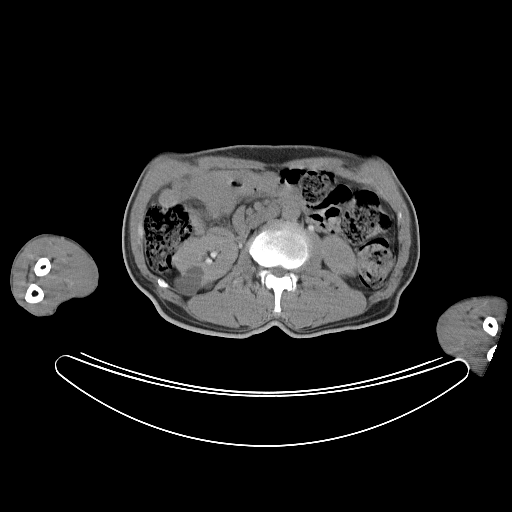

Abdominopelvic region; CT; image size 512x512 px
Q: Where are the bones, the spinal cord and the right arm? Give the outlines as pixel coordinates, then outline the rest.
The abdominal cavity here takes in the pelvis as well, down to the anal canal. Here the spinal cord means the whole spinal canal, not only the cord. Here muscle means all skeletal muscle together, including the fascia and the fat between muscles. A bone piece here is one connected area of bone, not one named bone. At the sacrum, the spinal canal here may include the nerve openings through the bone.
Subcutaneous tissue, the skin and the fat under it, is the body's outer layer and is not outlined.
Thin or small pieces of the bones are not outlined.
A: The bones appear in 6 outlined pieces: piece 1: 276 220; 289 222; 302 229; 310 245; 310 256; 308 260; 295 271; 298 277; 296 289; 284 289; 281 293; 281 310; 279 313; 273 311; 274 292; 271 288; 267 288; 261 283; 258 275; 260 267; 252 258; 246 246; 248 241; 265 224, around a hole outlined by 276 266; 280 266; 281 267; 282 267; 284 269; 285 269; 287 271; 287 272; 284 275; 283 275; 282 276; 280 276; 279 277; 278 276; 276 276; 275 275; 274 275; 272 273; 271 273; 271 272; 269 270; 269 269; 272 267; 275 267; piece 2: 31 283; 35 283; 36 284; 37 284; 42 289; 42 290; 43 291; 43 298; 39 302; 37 302; 36 303; 29 303; 28 302; 27 302; 25 300; 25 293; 26 292; 26 290; 27 289; 27 288; 28 287; 29 284; 30 284; piece 3: 40 257; 46 257; 48 258; 50 262; 50 264; 51 265; 50 267; 50 269; 48 273; 47 273; 43 276; 37 276; 35 274; 34 272; 34 270; 33 269; 34 267; 34 265; 36 261; piece 4: 487 316; 493 316; 496 319; 496 320; 497 321; 497 323; 498 324; 498 330; 497 331; 497 333; 494 336; 492 336; 491 335; 490 335; 488 333; 487 333; 483 329; 483 327; 482 326; 482 324; 483 323; 483 320; 484 319; 484 318; piece 5: 158 278; 161 278; 163 280; 164 280; 169 285; 169 286; 168 287; 167 287; 166 288; 164 288; 163 287; 161 287; 158 284; 158 283; 157 282; 157 279; piece 6: 494 345; 496 345; 495 346; 495 347; 493 350; 493 352; 491 355; 491 357; 490 358; 490 359; 489 360; 488 360; 487 359; 487 356; 486 355; 487 354; 487 352; 488 351; 488 350; 491 347; 492 347. The spinal cord is outlined by 276 266; 280 266; 281 267; 282 267; 284 269; 285 269; 287 271; 287 272; 284 275; 283 275; 282 276; 280 276; 279 277; 278 276; 276 276; 275 275; 274 275; 272 273; 271 273; 271 272; 269 270; 269 269; 272 267; 275 267. The right arm is outlined by 45 232; 52 232; 57 234; 65 235; 78 242; 94 259; 98 268; 99 277; 98 278; 98 285; 96 289; 90 295; 83 298; 72 298; 62 303; 52 315; 35 316; 25 310; 15 301; 10 290; 9 275; 13 258; 21 246; 31 237. The left arm is outlined by 479 294; 497 294; 505 298; 508 302; 500 337; 493 350; 489 360; 489 363; 481 377; 476 375; 468 367; 465 361; 463 361; 461 359; 456 359; 455 357; 452 357; 446 354; 440 347; 435 333; 437 319; 439 315; 448 306; 461 298. The muscle appears in 3 outlined pieces: piece 1: 208 155; 266 163; 310 157; 372 158; 383 165; 395 182; 410 217; 409 256; 392 295; 362 314; 310 330; 295 330; 280 318; 242 330; 219 329; 198 323; 177 305; 162 300; 136 265; 129 238; 131 209; 154 160; 162 156; 197 159 with a hole at 286 166; 371 187; 396 216; 401 213; 397 255; 385 283; 366 292; 323 268; 321 240; 306 232; 310 256; 295 271; 296 289; 282 291; 279 313; 246 246; 209 290; 181 293; 158 284; 138 229; 160 187; 210 168; piece 2: 44 236; 60 237; 75 244; 89 258; 93 266; 93 269; 94 270; 94 283; 92 288; 86 293; 70 296; 58 303; 49 312; 41 313; 32 310; 16 296; 13 288; 13 270; 14 269; 15 262; 18 256; 23 251; 24 248; 33 240 with holes at 31 283; 35 283; 36 284; 37 284; 42 289; 42 290; 43 291; 43 298; 39 302; 37 302; 36 303; 29 303; 28 302; 27 302; 25 300; 25 293; 26 292; 26 290; 27 289; 27 288; 28 287; 29 284; 30 284 and at 40 257; 46 257; 48 258; 50 262; 50 264; 51 265; 50 267; 50 269; 48 273; 47 273; 43 276; 37 276; 35 274; 34 272; 34 270; 33 269; 34 267; 34 265; 36 261; piece 3: 478 298; 496 298; 502 301; 508 302; 500 337; 497 343; 491 346; 486 352; 485 355; 486 359; 489 361; 489 363; 484 372; 472 367; 464 357; 458 356; 450 352; 444 346; 439 336; 440 324; 442 319; 449 310; 459 303; inner edge: 487 316; 493 316; 496 319; 496 320; 497 321; 497 323; 498 324; 498 330; 497 331; 497 333; 494 336; 492 336; 491 335; 490 335; 488 333; 487 333; 483 329; 483 327; 482 326; 482 324; 483 323; 483 320; 484 319; 484 318. The abdominal cavity is outlined by 286 166; 329 172; 371 187; 393 210; 397 225; 397 255; 390 276; 377 290; 362 291; 323 268; 320 238; 280 219; 265 223; 240 250; 230 271; 209 290; 181 293; 150 270; 144 253; 144 218; 150 199; 160 187; 177 176; 210 168. The torso is outlined by 242 143; 319 144; 353 152; 372 151; 389 162; 415 208; 420 241; 417 269; 390 318; 358 329; 313 337; 292 337; 274 325; 248 337; 233 338; 191 331; 158 313; 132 281; 122 254; 124 211; 136 181; 148 160; 161 150; 191 151.